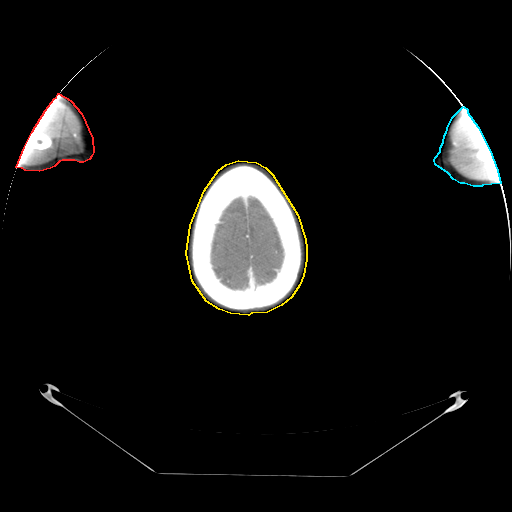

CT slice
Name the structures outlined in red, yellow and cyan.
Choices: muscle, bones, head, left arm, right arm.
red: right arm; yellow: head; cyan: left arm.
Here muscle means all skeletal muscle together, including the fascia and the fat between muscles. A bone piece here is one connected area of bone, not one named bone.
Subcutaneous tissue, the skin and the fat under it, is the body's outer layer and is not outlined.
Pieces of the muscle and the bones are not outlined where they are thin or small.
right arm: 58,93 70,100 81,113 92,138 93,152 91,156 89,159 83,162 79,162 74,160 62,160 59,161 54,166 50,168 39,171 25,170 22,168 16,167 24,147 32,131 45,110 54,98 56,97
head: 238,160 256,162 265,167 272,174 297,214 305,239 306,248 306,259 303,275 299,285 291,297 281,305 267,312 251,313 248,315 230,313 219,309 206,301 192,281 186,253 190,225 204,190 218,170 226,164
left arm: 463,106 467,109 467,112 477,126 489,149 497,170 500,183 482,185 481,186 473,186 464,183 460,183 453,179 448,173 435,164 434,160 435,157 440,151 440,147 443,142 444,135 446,132 448,125 453,116
brain: 249,197 255,198 271,219 282,248 282,259 279,267 275,269 275,275 270,280 258,283 250,273 245,287 231,287 224,283 214,270 211,256 212,246 217,225 221,222 226,208 237,198 241,198 244,206 247,207
bones 1: 241,163 251,164 263,170 279,186 295,213 303,243 303,263 299,277 293,289 281,301 271,306 247,310 236,310 224,307 213,301 202,291 192,273 189,251 192,224 198,204 203,194 211,182 221,172 233,165, around a hole outlined by 249,197 255,198 271,219 282,248 282,259 279,267 275,269 275,275 270,280 258,283 250,273 245,287 231,287 224,283 214,270 211,256 212,246 217,225 221,222 226,208 237,198 241,198 244,206 247,207
bones 2: 39,132 46,132 47,135 50,138 50,142 49,143 49,144 44,148 31,148 28,146 25,146 25,145 26,144 26,143 27,142 27,141 28,140 29,137 31,135 33,135 34,134 36,134
muscle 1: 56,97 69,105 77,116 81,125 81,132 84,142 84,151 76,154 57,156 50,161 42,164 29,165 20,159 24,147 28,147 31,149 44,149 51,142 51,138 46,131 39,131 33,134 31,133 45,110
muscle 2: 466,112 470,115 474,121 489,149 489,151 497,170 498,176 496,177 484,179 483,180 469,179 460,174 451,165 445,162 445,158 447,155 447,150 450,144 450,141 449,140 450,131 456,124 461,116